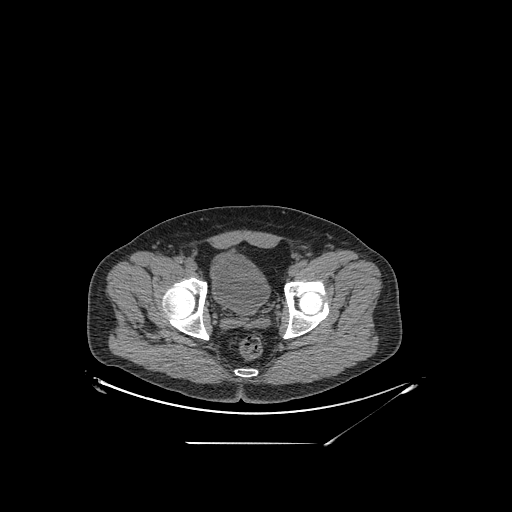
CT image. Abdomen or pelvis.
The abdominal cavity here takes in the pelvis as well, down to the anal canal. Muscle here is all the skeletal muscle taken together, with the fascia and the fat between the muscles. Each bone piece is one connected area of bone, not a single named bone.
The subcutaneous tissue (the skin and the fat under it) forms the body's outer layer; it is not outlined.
The torso is outlined by 260 204; 291 207; 332 221; 352 232; 390 263; 397 278; 402 322; 401 343; 391 357; 324 392; 281 403; 254 404; 242 400; 224 403; 188 397; 103 364; 92 355; 86 334; 87 293; 92 273; 104 256; 146 229; 174 216; 215 206. The muscle is outlined by 241 229; 297 239; 319 253; 349 249; 373 262; 380 270; 383 285; 373 311; 379 338; 376 352; 336 375; 281 385; 229 381; 195 383; 148 370; 113 354; 107 341; 116 319; 104 290; 106 276; 115 264; 135 251; 171 255; 184 243, around a hole outlined by 242 241; 261 248; 287 243; 295 262; 285 278; 322 280; 329 307; 311 330; 283 339; 284 300; 270 357; 249 378; 233 373; 236 366; 212 337; 206 298; 208 340; 178 330; 161 307; 175 282; 204 279; 195 260; 198 245; 223 249. The bones appear in 3 outlined pieces: piece 1: 190 277; 195 277; 198 279; 205 280; 207 282; 207 293; 203 305; 202 317; 206 331; 209 334; 209 339; 208 340; 204 340; 201 338; 194 337; 178 330; 170 324; 162 311; 161 298; 165 291; 175 282; 178 282; 184 278; 189 278; piece 2: 319 279; 322 280; 324 284; 326 297; 328 301; 328 306; 329 307; 328 314; 324 319; 308 332; 292 338; 283 339; 282 335; 286 329; 289 318; 289 310; 286 303; 284 290; 283 289; 284 284; 288 281; 293 281; 294 280; 314 281; piece 3: 239 367; 253 367; 254 368; 256 368; 259 371; 259 372; 258 373; 258 374; 256 376; 254 376; 253 377; 250 377; 249 378; 246 378; 245 377; 238 377; 237 376; 236 376; 233 373; 233 369; 234 368; 238 368. The abdominal cavity is outlined by 242 241; 261 248; 272 248; 285 242; 295 260; 288 268; 285 278; 291 280; 286 281; 282 287; 285 300; 279 313; 277 341; 269 359; 254 367; 236 367; 230 363; 212 337; 208 282; 195 260; 197 246; 202 243; 223 249.